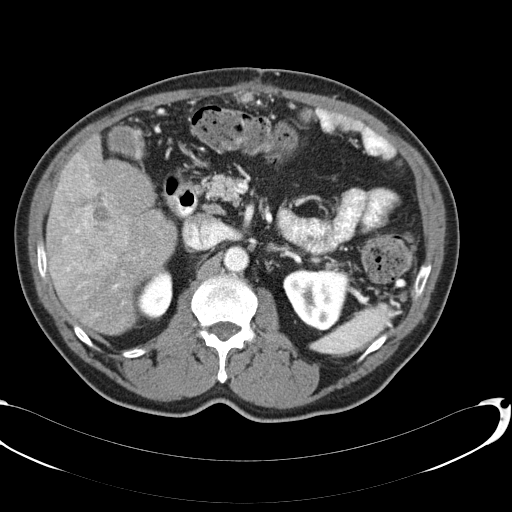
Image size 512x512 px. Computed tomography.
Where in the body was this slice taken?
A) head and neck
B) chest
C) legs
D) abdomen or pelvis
D) abdomen or pelvis
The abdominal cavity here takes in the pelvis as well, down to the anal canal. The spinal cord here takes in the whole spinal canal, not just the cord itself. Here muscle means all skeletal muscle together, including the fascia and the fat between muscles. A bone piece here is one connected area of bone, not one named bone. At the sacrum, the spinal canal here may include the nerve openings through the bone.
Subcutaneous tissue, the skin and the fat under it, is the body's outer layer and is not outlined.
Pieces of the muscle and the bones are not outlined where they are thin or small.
Outlines (x, y in pixels):
abdominal cavity: 247,91 362,120 406,160 414,177 425,256 405,315 355,354 309,361 279,329 270,290 260,286 255,292 236,274 221,271 185,287 157,335 132,348 106,351 66,311 47,270 43,224 62,169 90,136 138,111
torso: 232,66 303,71 359,90 420,139 452,190 460,244 443,311 425,342 392,379 350,409 263,423 224,403 184,417 118,405 93,390 66,362 23,295 15,261 14,218 23,187 46,149 77,120 110,100 172,76
muscle: 242,83 270,84 288,90 335,96 372,114 413,146 433,174 444,203 446,229 442,266 423,319 394,353 374,370 301,406 278,409 246,401 224,383 228,378 229,351 242,349 246,343 256,340 257,334 251,326 259,303 256,289 269,290 275,302 278,329 306,360 316,363 325,358 355,355 367,346 356,359 357,363 361,362 386,341 387,332 406,315 412,292 416,299 423,294 432,264 424,262 426,238 412,169 396,146 366,121 330,107 273,93 247,90 194,96 129,114 90,135 61,169 43,218 43,240 38,240 35,246 36,267 43,280 47,271 57,299 75,323 72,329 80,341 95,350 120,352 131,359 147,352 144,347 136,347 168,326 180,294 195,284 189,302 199,325 195,335 216,351 216,379 222,384 217,383 199,395 179,400 152,400 117,383 72,351 40,302 27,242 32,197 40,178 61,148 82,128 121,106 160,92
bones 1: 221,272 236,275 244,280 258,300 256,311 250,320 250,326 256,334 255,340 246,342 242,348 231,348 228,351 225,361 227,378 223,383 217,379 217,351 196,335 200,325 190,307 192,294 201,282, around a hole outlined by 218,322 230,322 231,323 233,323 235,324 238,327 239,327 239,329 236,333 233,334 227,339 225,340 221,340 214,333 212,333 210,332 209,330 210,329 210,327 212,325
bones 2: 424,263 425,264 427,263 430,263 431,264 431,270 427,278 427,280 426,281 426,283 425,284 422,294 416,298 415,297 415,293 414,292 414,284 415,283 415,280 416,279 417,274 419,271 419,269 421,265
bones 3: 38,241 43,241 43,244 44,245 44,249 45,250 45,254 46,255 46,264 47,265 46,266 46,275 44,279 43,279 40,276 39,272 38,271 38,268 37,267 37,249 36,248 36,246 37,245
bones 4: 384,333 387,333 387,337 386,338 385,341 376,350 375,350 372,352 370,352 367,355 366,355 365,356 365,357 364,357 361,361 360,361 359,362 357,362 357,359 365,351 365,350 376,339 377,339
bones 5: 74,324 77,324 85,332 85,333 89,337 89,338 92,341 92,342 96,346 97,346 98,347 98,349 95,349 92,347 90,347 89,346 88,346 79,339 79,338 74,332 74,330 73,329 73,325
spinal cord: 218,322 230,322 231,323 233,323 235,324 238,327 239,327 239,329 236,333 233,334 227,339 225,340 221,340 214,333 212,333 210,332 209,330 210,329 210,327 212,325